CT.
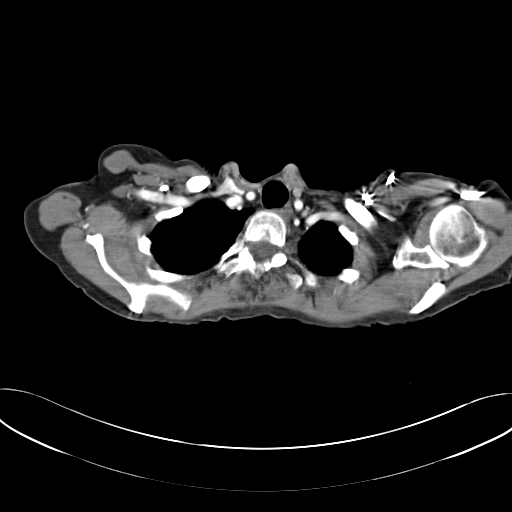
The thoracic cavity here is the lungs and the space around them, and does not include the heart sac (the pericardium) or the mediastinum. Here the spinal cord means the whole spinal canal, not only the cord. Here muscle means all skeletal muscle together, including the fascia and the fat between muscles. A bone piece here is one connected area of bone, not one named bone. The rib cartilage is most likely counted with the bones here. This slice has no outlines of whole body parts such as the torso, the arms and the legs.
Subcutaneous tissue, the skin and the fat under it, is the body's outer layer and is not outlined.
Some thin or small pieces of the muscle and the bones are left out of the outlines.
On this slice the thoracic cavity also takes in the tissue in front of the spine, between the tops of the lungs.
The bones appear in 10 outlined pieces: piece 1: 449,204 464,207 485,229 488,241 479,257 471,265 465,267 451,264 446,269 419,268 409,265 399,269 395,268 392,265 392,258 402,238 405,235 409,236 417,247 426,245 429,242 428,230 433,217 440,209; piece 2: 260,209 273,210 285,221 289,228 290,253 314,273 318,282 317,286 312,287 303,282 297,289 293,289 285,273 301,271 290,260 280,267 271,268 258,279 247,271 234,272 225,277 211,268 243,230 245,221 with a hole at 260,241 265,241 269,243 271,245 272,245 275,248 274,249 274,252 269,258 267,259 265,259 262,261 257,261 254,258 253,255 251,253 250,248 251,247 251,245 253,243 255,243 256,242 259,242; piece 3: 95,233 103,237 107,262 127,281 153,283 145,271 147,265 191,274 189,279 168,284 190,295 189,307 183,310 167,298 152,294 141,313 130,310 126,305 130,295 104,271 95,249 85,239 86,234; piece 4: 436,281 440,281 442,283 443,283 446,287 446,291 433,304 432,304 429,307 424,309 422,311 416,314 409,314 408,313 408,311 409,309 419,300 419,299 422,296 422,295 424,293 426,289 433,282 435,282; piece 5: 345,196 348,196 349,197 353,198 357,202 358,202 362,206 363,206 369,212 370,212 370,213 375,219 376,223 374,225 372,225 369,229 367,229 362,225 361,225 345,208 344,204 343,203 343,198; piece 6: 197,174 208,174 210,177 210,183 205,188 204,188 202,190 201,190 198,192 194,192 193,193 191,193 190,192 188,192 186,190 186,187 185,186 185,183 186,182 186,181 190,177 191,177 194,175 196,175; piece 7: 347,267 350,267 351,268 354,268 355,269 357,269 360,271 360,275 359,276 358,279 354,282 353,282 350,284 349,284 346,282 344,282 341,280 339,280 336,277 336,275 337,274 338,274 343,268 346,268; piece 8: 174,206 181,206 182,208 182,212 181,213 180,213 176,216 174,216 173,217 171,217 167,219 164,219 156,223 156,221 154,217 154,214 156,212 157,212 159,210 163,210 164,209 169,209 170,208 172,208; piece 9: 341,224 344,224 350,230 351,230 352,231 354,231 356,233 359,240 358,241 358,243 357,244 357,245 355,247 353,247 352,246 351,246 351,245 342,236 342,235 339,232 339,231 338,230 338,226; piece 10: 143,234 144,235 147,236 150,239 150,240 151,241 151,245 150,246 150,251 153,255 153,257 149,257 146,254 141,252 138,249 138,248 137,247 137,242 136,241 136,237 137,236 137,235 142,235. The spinal cord is outlined by 260,241 265,241 269,243 271,245 272,245 275,248 274,249 274,252 269,258 267,259 265,259 262,261 257,261 254,258 253,255 251,253 250,248 251,247 251,245 253,243 255,243 256,242 259,242. The muscle appears in 2 outlined pieces: piece 1: 288,166 310,191 355,196 384,183 437,178 499,198 511,210 511,256 440,299 447,287 433,281 408,314 332,323 278,306 227,308 190,319 142,313 152,295 186,311 191,295 169,284 208,268 225,278 247,272 258,280 290,261 300,271 284,273 293,290 303,283 317,287 315,273 349,285 359,279 361,271 350,266 357,233 312,212 304,192 278,177; inner edges: 449,204 464,207 485,229 488,241 479,257 471,265 465,267 451,264 446,269 419,268 409,265 399,269 395,268 392,265 392,258 402,238 405,235 409,236 417,247 426,245 429,242 428,230 433,217 440,209, then 345,196 348,196 349,197 353,198 357,202 358,202 362,206 363,206 369,212 370,212 370,213 375,219 376,223 374,225 372,225 369,229 367,229 362,225 361,225 345,208 344,204 343,203 343,198; piece 2: 122,149 141,163 201,168 207,173 184,183 191,194 205,189 210,175 230,163 242,178 260,184 217,193 183,210 174,205 156,211 151,233 135,237 137,249 159,265 144,266 153,282 125,279 108,262 103,235 86,233 84,239 103,271 129,295 125,305 66,261 56,234 43,228 38,217 40,202 54,192 71,192 84,204 109,193 118,176 103,159. The thoracic cavity is outlined by 274,178 281,178 303,192 311,212 337,226 351,247 349,266 335,275 307,268 291,253 286,221 268,208 257,209 244,221 234,241 210,267 180,273 164,269 154,257 149,236 158,223 178,216 200,200 255,188.